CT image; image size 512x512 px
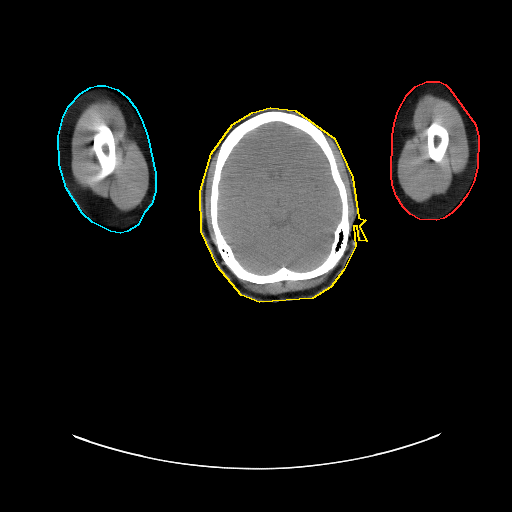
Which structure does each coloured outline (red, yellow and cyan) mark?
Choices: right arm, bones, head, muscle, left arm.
red: left arm; yellow: head; cyan: right arm.
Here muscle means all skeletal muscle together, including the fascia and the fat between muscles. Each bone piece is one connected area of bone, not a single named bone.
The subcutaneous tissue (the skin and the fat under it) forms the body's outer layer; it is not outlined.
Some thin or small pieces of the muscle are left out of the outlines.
{"left_arm":[[[426,81],[439,81],[445,84],[449,88],[475,124],[478,137],[477,167],[473,182],[467,194],[459,205],[451,213],[443,218],[436,220],[419,219],[410,214],[403,207],[396,196],[392,184],[391,175],[392,136],[394,123],[398,110],[407,94],[415,86]]],"head":[[[270,107],[295,110],[334,138],[352,177],[358,217],[365,220],[359,226],[366,241],[359,240],[357,226],[353,226],[355,246],[343,270],[330,287],[312,298],[259,302],[241,295],[217,266],[201,231],[200,191],[211,153],[232,124],[252,112]]],"right_arm":[[[97,85],[105,85],[117,89],[127,97],[134,106],[141,119],[147,136],[155,173],[155,191],[151,204],[144,212],[137,225],[127,231],[120,233],[110,231],[92,222],[82,213],[66,188],[59,164],[58,136],[63,116],[69,105],[80,93],[90,87]]],"bones":[{"outer":[[271,110],[299,114],[307,118],[323,132],[332,150],[345,187],[347,215],[351,229],[343,255],[334,267],[325,273],[309,279],[282,280],[259,284],[238,278],[222,259],[215,243],[215,234],[210,213],[210,196],[217,156],[224,139],[240,123],[257,114]],"hole":[[275,122],[300,130],[320,148],[327,160],[331,178],[338,192],[341,208],[339,221],[333,231],[330,249],[319,264],[305,270],[295,270],[282,265],[271,272],[260,273],[252,271],[240,263],[222,233],[218,217],[219,185],[226,161],[244,136],[263,125]]},[[103,129],[107,129],[112,132],[112,134],[114,138],[114,142],[115,143],[115,154],[116,155],[116,159],[117,160],[115,164],[115,166],[107,173],[101,168],[93,148],[93,137],[94,135],[98,131]],[[432,123],[434,123],[436,125],[442,128],[449,137],[448,144],[447,145],[447,147],[446,148],[446,150],[443,156],[442,162],[441,163],[437,163],[435,162],[428,156],[428,149],[427,148],[427,135],[426,134],[426,130],[428,129],[428,128]]],"muscle":[{"outer":[[94,96],[106,96],[117,103],[144,155],[144,160],[148,168],[149,183],[147,192],[141,203],[129,211],[121,211],[116,208],[109,200],[97,196],[89,190],[85,190],[78,187],[74,183],[71,175],[70,148],[74,123],[84,104],[91,100]],"hole":[[103,129],[107,129],[112,132],[112,134],[114,138],[114,142],[115,143],[115,154],[116,155],[116,159],[117,160],[115,164],[115,166],[107,173],[101,168],[93,148],[93,137],[94,135],[98,131]]},{"outer":[[428,92],[449,100],[457,108],[465,125],[468,137],[470,154],[469,162],[466,169],[453,179],[450,187],[445,193],[434,195],[427,201],[418,203],[410,199],[402,190],[398,180],[397,163],[404,140],[408,134],[407,126],[412,119],[415,105],[419,97]],"hole":[[432,123],[434,123],[436,125],[442,128],[449,137],[448,144],[447,145],[447,147],[446,148],[446,150],[443,156],[442,162],[441,163],[437,163],[435,162],[428,156],[428,149],[427,148],[427,135],[426,134],[426,130],[428,129],[428,128]]},[[333,268],[334,268],[333,270],[329,274],[327,278],[323,282],[315,287],[305,290],[300,290],[294,292],[285,292],[275,295],[259,294],[253,292],[245,288],[238,280],[239,279],[259,285],[272,284],[282,281],[302,281],[316,278],[323,274],[325,274]],[[326,136],[327,136],[336,146],[343,161],[344,167],[349,181],[349,186],[350,187],[352,200],[353,201],[353,219],[352,220],[351,226],[349,221],[349,216],[348,215],[348,196],[347,195],[346,187],[340,174],[333,150],[329,144]],[[218,150],[216,156],[215,164],[214,165],[212,179],[211,180],[210,195],[209,196],[209,213],[210,214],[211,226],[214,234],[214,242],[211,238],[207,225],[205,195],[206,194],[206,183],[207,182],[207,175],[208,174],[209,167],[213,157]]],"brain":[[[275,122],[300,130],[320,148],[327,160],[331,178],[338,192],[341,208],[339,221],[333,231],[330,249],[319,264],[305,270],[295,270],[282,265],[271,272],[260,273],[252,271],[240,263],[222,233],[218,217],[219,185],[226,161],[244,136],[263,125]]]}